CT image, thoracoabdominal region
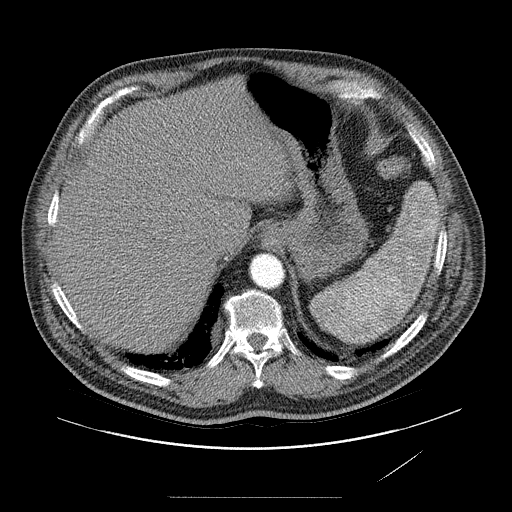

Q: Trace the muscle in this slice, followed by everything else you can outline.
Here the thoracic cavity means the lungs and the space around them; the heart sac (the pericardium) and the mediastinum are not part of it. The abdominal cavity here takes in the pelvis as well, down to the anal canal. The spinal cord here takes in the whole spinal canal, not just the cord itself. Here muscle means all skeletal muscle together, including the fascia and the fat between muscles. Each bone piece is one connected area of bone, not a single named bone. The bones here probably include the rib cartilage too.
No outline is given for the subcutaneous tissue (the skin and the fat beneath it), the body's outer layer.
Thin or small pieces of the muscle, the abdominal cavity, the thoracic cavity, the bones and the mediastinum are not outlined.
A: The muscle is outlined by [[232,55],[342,67],[370,75],[417,115],[439,147],[457,208],[468,227],[474,284],[467,303],[442,332],[375,382],[333,396],[295,400],[259,389],[264,385],[262,369],[284,348],[301,356],[295,342],[333,364],[323,367],[328,376],[347,380],[358,374],[354,365],[392,343],[377,359],[388,358],[422,329],[428,318],[427,311],[420,312],[422,302],[432,272],[437,276],[442,272],[448,243],[431,172],[437,164],[434,153],[420,129],[412,122],[404,127],[384,109],[378,101],[382,93],[374,87],[340,78],[329,81],[329,91],[324,91],[253,60],[222,61],[169,88],[130,96],[110,107],[140,90],[139,84],[120,87],[101,99],[74,138],[81,147],[60,189],[52,194],[46,221],[53,227],[57,281],[50,289],[56,302],[76,328],[130,364],[122,364],[122,372],[136,381],[166,387],[172,380],[161,373],[183,372],[204,362],[211,369],[227,354],[232,358],[241,354],[253,366],[255,388],[228,404],[181,405],[91,370],[64,350],[48,328],[33,246],[34,205],[58,144],[79,110],[107,84],[124,76]]. The thoracic cavity appears in 3 outlined pieces: piece 1: [[215,286],[221,286],[223,288],[219,313],[227,316],[228,325],[224,330],[223,339],[220,345],[208,359],[183,371],[160,373],[129,363],[128,359],[125,357],[126,354],[140,354],[143,356],[158,354],[169,355],[183,344],[188,339],[188,336],[198,322]]; piece 2: [[284,318],[289,319],[293,318],[293,320],[295,322],[296,329],[301,332],[318,348],[337,356],[338,361],[340,363],[349,364],[334,364],[331,361],[328,361],[314,355],[308,351],[307,349],[304,349],[303,347],[298,345],[291,338],[289,331],[285,325]]; piece 3: [[383,340],[389,340],[389,344],[384,347],[383,349],[379,351],[377,351],[376,353],[372,353],[371,354],[373,355],[364,355],[362,357],[357,357],[356,356],[356,350],[360,350],[361,349],[367,349],[371,347],[374,344],[378,342],[380,342]]. The abdominal cavity is outlined by [[232,60],[341,99],[363,97],[382,133],[405,128],[431,173],[440,229],[421,308],[393,342],[356,349],[357,358],[372,356],[359,363],[340,362],[297,329],[275,225],[253,231],[169,354],[122,359],[84,329],[58,282],[52,234],[60,190],[106,110]]. The bones appear in 10 outlined pieces: piece 1: [[246,290],[267,293],[281,305],[284,325],[301,352],[301,355],[296,355],[284,347],[279,356],[269,358],[261,369],[263,385],[260,388],[252,385],[256,377],[254,366],[241,353],[233,357],[227,353],[215,366],[205,366],[221,345],[229,325],[222,303]], around a hole outlined by [[253,333],[259,333],[260,334],[262,334],[263,335],[264,335],[266,337],[266,340],[265,341],[265,342],[264,343],[264,344],[260,348],[260,349],[259,350],[256,350],[249,343],[249,342],[247,339],[247,337]]; piece 2: [[132,85],[139,85],[140,86],[140,89],[133,91],[129,94],[124,95],[113,103],[108,105],[101,119],[94,129],[91,137],[86,140],[81,145],[78,145],[75,138],[85,121],[90,115],[91,112],[100,101],[113,93],[116,90],[120,88],[123,88]]; piece 3: [[340,79],[344,79],[348,81],[357,80],[362,82],[362,85],[364,87],[370,86],[381,93],[381,97],[379,99],[375,98],[365,99],[361,95],[351,95],[344,98],[341,98],[336,95],[335,93],[331,92],[327,87],[327,84],[329,82],[333,82]]; piece 4: [[421,312],[427,312],[427,318],[423,326],[416,334],[416,335],[406,345],[405,345],[402,348],[398,350],[395,353],[390,355],[388,357],[384,359],[379,360],[378,359],[379,357],[385,351],[386,351],[392,346],[396,339],[412,323],[412,322]]; piece 5: [[122,365],[131,365],[132,366],[134,366],[141,369],[144,369],[145,370],[148,370],[149,371],[152,371],[153,372],[159,373],[163,376],[169,378],[171,380],[171,382],[166,386],[158,386],[152,383],[144,382],[140,380],[136,380],[120,369],[120,367]]; piece 6: [[406,123],[412,123],[417,129],[420,130],[421,134],[430,146],[431,150],[433,153],[435,163],[436,164],[435,165],[435,167],[434,167],[432,170],[430,170],[428,166],[426,165],[426,162],[424,157],[422,155],[418,146],[414,142],[410,136],[406,128]]; piece 7: [[53,281],[56,281],[61,287],[61,289],[63,291],[63,293],[65,295],[68,302],[74,311],[75,315],[77,317],[78,321],[83,327],[84,332],[81,331],[77,327],[76,327],[76,326],[67,317],[67,316],[60,307],[51,289],[51,284]]; piece 8: [[443,227],[445,228],[446,231],[446,234],[447,235],[447,243],[446,244],[445,258],[443,262],[442,269],[440,274],[437,275],[434,269],[434,260],[436,255],[436,248],[437,247],[437,243],[439,237],[439,232],[441,228]]; piece 9: [[326,365],[347,365],[348,366],[352,366],[357,369],[357,374],[356,375],[354,375],[352,377],[351,377],[350,378],[348,378],[347,379],[342,379],[341,380],[340,379],[335,378],[330,375],[328,375],[326,373],[326,372],[324,369],[324,367]]; piece 10: [[55,190],[58,190],[59,191],[59,199],[58,200],[58,208],[57,209],[56,221],[55,222],[54,226],[51,226],[48,224],[48,222],[47,221],[47,213],[48,212],[48,209],[49,208],[49,206],[51,202],[51,199],[53,196],[53,194]]. The torso is outlined by [[220,47],[332,51],[385,68],[432,116],[478,205],[484,226],[486,267],[475,310],[435,362],[363,409],[309,421],[254,416],[203,427],[174,423],[114,401],[84,385],[50,351],[33,321],[23,280],[22,212],[36,167],[70,103],[92,80],[121,64]]. The spinal cord is outlined by [[253,333],[259,333],[260,334],[262,334],[263,335],[264,335],[266,337],[266,340],[265,341],[265,342],[264,343],[264,344],[260,348],[260,349],[259,350],[256,350],[249,343],[249,342],[247,339],[247,337]]. The mediastinum appears in 2 outlined pieces: piece 1: [[263,225],[275,226],[281,232],[286,253],[289,299],[291,301],[291,311],[293,313],[292,318],[284,317],[282,305],[267,292],[246,289],[228,296],[222,302],[221,300],[224,293],[224,288],[221,285],[218,285],[219,283],[235,260],[241,255],[254,231]]; piece 2: [[373,99],[377,100],[377,101],[383,108],[383,109],[385,111],[386,111],[387,113],[388,113],[392,117],[396,119],[399,122],[400,124],[400,127],[399,129],[391,133],[384,133],[381,131],[380,129],[380,118],[373,111],[370,106],[370,102],[371,100]].